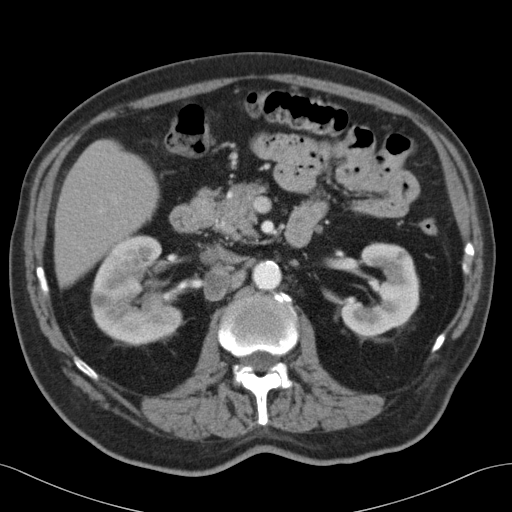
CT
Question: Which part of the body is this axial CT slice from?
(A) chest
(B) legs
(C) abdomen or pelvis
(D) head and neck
Answer: (C) abdomen or pelvis
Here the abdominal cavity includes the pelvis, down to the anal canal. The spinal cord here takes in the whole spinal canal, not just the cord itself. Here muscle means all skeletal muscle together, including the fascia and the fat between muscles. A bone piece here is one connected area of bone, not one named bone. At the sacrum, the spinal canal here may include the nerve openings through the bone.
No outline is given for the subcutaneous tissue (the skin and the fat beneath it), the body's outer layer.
Outlines:
bones 1: (258, 292) (286, 293) (291, 297) (298, 317) (297, 343) (282, 357) (293, 384) (288, 388) (278, 387) (268, 391) (266, 398) (268, 421) (264, 425) (257, 423) (257, 403) (254, 394) (233, 379) (232, 366) (236, 359) (220, 345) (217, 337) (224, 310) (235, 299); inner edge: (256, 351) (264, 351) (272, 355) (275, 355) (279, 358) (279, 360) (276, 363) (269, 367) (268, 368) (268, 371) (265, 373) (261, 374) (260, 375) (259, 374) (257, 374) (254, 371) (254, 369) (255, 368) (252, 365) (242, 365) (240, 363) (240, 358) (244, 356) (249, 355)
bones 2: (469, 241) (471, 242) (471, 243) (473, 245) (473, 247) (474, 248) (474, 255) (472, 258) (472, 262) (470, 266) (470, 271) (467, 274) (465, 274) (462, 271) (462, 268) (461, 266) (462, 265) (462, 261) (464, 257) (464, 246) (465, 244)
bones 3: (75, 355) (78, 356) (82, 360) (83, 360) (90, 367) (91, 367) (98, 374) (98, 379) (95, 380) (94, 379) (93, 379) (92, 378) (89, 377) (87, 375) (86, 375) (83, 372) (82, 372) (75, 365) (75, 364) (73, 361) (73, 357)
bones 4: (37, 266) (42, 266) (43, 267) (43, 269) (44, 270) (44, 273) (45, 274) (45, 277) (47, 280) (47, 283) (49, 286) (49, 293) (48, 295) (46, 296) (42, 293) (39, 287) (39, 282) (38, 281) (38, 279) (36, 275) (36, 267)
bones 5: (442, 332) (443, 332) (445, 334) (445, 339) (444, 340) (444, 341) (442, 343) (441, 346) (436, 351) (435, 351) (434, 352) (432, 352) (431, 351) (431, 347) (432, 346) (432, 345) (434, 343) (434, 342) (435, 341) (435, 340) (436, 339) (437, 336) (440, 333) (441, 333)
spinal cord: (256, 351) (264, 351) (272, 355) (275, 355) (279, 358) (279, 360) (276, 363) (269, 367) (268, 368) (268, 371) (265, 373) (261, 374) (260, 375) (259, 374) (257, 374) (254, 371) (254, 369) (255, 368) (252, 365) (242, 365) (240, 363) (240, 358) (244, 356) (249, 355)
torso: (237, 51) (309, 56) (393, 82) (447, 123) (480, 174) (496, 247) (484, 333) (439, 420) (406, 448) (333, 465) (262, 452) (208, 475) (166, 473) (116, 459) (76, 433) (45, 399) (26, 365) (11, 311) (8, 253) (22, 180) (35, 152) (66, 114) (109, 84) (171, 62)
abdominal cavity: (252, 79) (306, 87) (405, 116) (436, 151) (463, 243) (461, 296) (417, 368) (385, 393) (347, 387) (323, 367) (312, 323) (284, 291) (252, 292) (216, 309) (193, 373) (171, 390) (152, 395) (98, 373) (76, 354) (58, 324) (44, 248) (56, 179) (67, 154) (100, 122)
muscle: (273, 73) (299, 74) (379, 94) (419, 114) (443, 132) (457, 148) (473, 184) (483, 239) (479, 297) (468, 325) (448, 352) (379, 414) (362, 424) (328, 433) (292, 433) (275, 428) (267, 424) (267, 398) (270, 390) (288, 389) (294, 384) (283, 357) (299, 339) (299, 317) (295, 306) (302, 310) (313, 327) (322, 367) (341, 385) (359, 392) (385, 394) (396, 388) (418, 368) (430, 348) (434, 353) (445, 341) (443, 331) (456, 313) (462, 296) (462, 272) (467, 275) (471, 271) (475, 248) (471, 241) (464, 245) (462, 240) (434, 145) (405, 115) (341, 95) (267, 78) (241, 79) (211, 91) (100, 121) (83, 134) (59, 167) (47, 218) (43, 266) (35, 267) (38, 287) (46, 297) (50, 292) (57, 324) (75, 353) (72, 357) (74, 365) (95, 381) (99, 374) (138, 394) (152, 396) (169, 392) (194, 373) (211, 315) (227, 306) (219, 320) (217, 341) (235, 359) (231, 366) (233, 381) (253, 394) (256, 423) (260, 425) (244, 436) (220, 441) (201, 442) (156, 435) (101, 408) (72, 384) (61, 371) (40, 329) (26, 287) (22, 254) (34, 175) (42, 159) (58, 142) (115, 105) (214, 78)